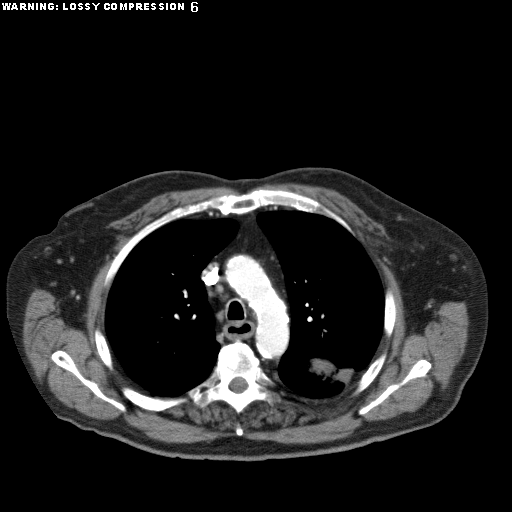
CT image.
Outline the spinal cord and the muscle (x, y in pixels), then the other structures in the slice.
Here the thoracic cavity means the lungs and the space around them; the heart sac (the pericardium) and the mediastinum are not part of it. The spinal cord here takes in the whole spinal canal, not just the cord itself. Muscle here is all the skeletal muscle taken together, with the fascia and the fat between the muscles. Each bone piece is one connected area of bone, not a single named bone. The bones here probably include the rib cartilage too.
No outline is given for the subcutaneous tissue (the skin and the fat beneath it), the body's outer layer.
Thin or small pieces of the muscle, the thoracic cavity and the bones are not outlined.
Outlines (x, y in pixels):
spinal cord: (237, 377) (240, 377) (241, 378) (244, 379) (245, 380) (245, 381) (247, 384) (247, 386) (246, 387) (246, 388) (245, 389) (244, 389) (241, 392) (235, 392) (234, 391) (233, 391) (230, 388) (230, 387) (229, 386) (229, 385) (230, 384) (231, 381) (233, 379) (234, 379)
muscle: (275, 182) (331, 188) (383, 225) (389, 239) (381, 238) (385, 245) (379, 251) (387, 257) (387, 265) (398, 283) (407, 334) (422, 333) (441, 303) (465, 302) (467, 341) (444, 389) (437, 387) (414, 411) (365, 422) (351, 434) (329, 441) (282, 443) (248, 439) (242, 436) (244, 431) (238, 422) (234, 436) (179, 443) (153, 439) (119, 418) (104, 420) (85, 415) (65, 405) (45, 382) (38, 380) (22, 340) (25, 308) (34, 288) (45, 289) (55, 296) (58, 314) (67, 325) (84, 329) (92, 281) (112, 254) (121, 232) (106, 225) (164, 192) (226, 186) (241, 193) (223, 193) (168, 210) (135, 232) (110, 262) (103, 281) (109, 289) (104, 334) (96, 327) (93, 336) (104, 365) (113, 371) (115, 361) (135, 388) (121, 386) (122, 395) (132, 404) (154, 412) (189, 400) (201, 409) (223, 401) (239, 415) (254, 401) (272, 406) (278, 396) (276, 387) (311, 400) (334, 398) (354, 385) (354, 395) (366, 389) (387, 357) (385, 350) (374, 357) (383, 334) (389, 338) (394, 329) (397, 313) (394, 294) (389, 288) (384, 291) (376, 266) (350, 225) (324, 204) (288, 189) (260, 187) (247, 191), around holes outlined by (56, 350) (62, 350) (63, 351) (65, 351) (71, 357) (77, 369) (85, 378) (95, 382) (97, 384) (99, 389) (106, 396) (110, 398) (112, 398) (116, 401) (120, 402) (123, 404) (126, 410) (123, 412) (111, 403) (98, 397) (70, 371) (56, 364) (51, 359) (51, 354) and by (419, 359) (425, 359) (430, 362) (431, 364) (430, 369) (424, 376) (410, 379) (406, 383) (393, 391) (383, 401) (374, 406) (366, 413) (362, 415) (360, 415) (358, 413) (358, 411) (360, 408) (367, 405) (371, 401) (375, 399) (389, 385) (400, 382) (408, 373) (411, 367)
torso: (303, 166) (333, 167) (366, 180) (455, 231) (476, 254) (487, 282) (488, 328) (480, 358) (454, 409) (431, 426) (350, 450) (260, 461) (167, 457) (57, 417) (32, 380) (10, 328) (5, 283) (16, 253) (33, 237) (53, 229) (70, 208) (145, 174) (183, 169) (236, 179)
mediastinum: (266, 206) (290, 208) (261, 211) (256, 216) (257, 224) (278, 258) (289, 302) (289, 342) (276, 373) (265, 371) (252, 348) (239, 339) (221, 346) (216, 339) (214, 313) (200, 277) (213, 256) (235, 237) (238, 222) (228, 217) (193, 218) (211, 209) (218, 209) (226, 216)
bones 1: (237, 340) (251, 348) (265, 373) (276, 384) (273, 389) (277, 396) (272, 405) (263, 400) (254, 400) (238, 414) (223, 400) (212, 401) (201, 408) (189, 399) (164, 410) (154, 411) (132, 403) (121, 391) (121, 387) (128, 386) (152, 397) (184, 395) (211, 374) (221, 347) with a hole at (237, 377) (240, 377) (241, 378) (244, 379) (245, 380) (245, 381) (247, 384) (247, 386) (246, 387) (246, 388) (245, 389) (244, 389) (241, 392) (235, 392) (234, 391) (233, 391) (230, 388) (230, 387) (229, 386) (229, 385) (230, 384) (231, 381) (233, 379) (234, 379)
bones 2: (260, 188) (282, 189) (308, 196) (342, 218) (354, 235) (330, 217) (280, 205) (266, 205) (245, 213) (226, 215) (218, 208) (211, 208) (172, 220) (150, 232) (123, 260) (109, 288) (104, 285) (111, 262) (122, 246) (140, 229) (163, 214) (178, 206) (215, 196) (241, 194)
bones 3: (56, 350) (62, 350) (63, 351) (65, 351) (71, 357) (77, 369) (85, 378) (95, 382) (97, 384) (99, 389) (106, 396) (110, 398) (112, 398) (116, 401) (120, 402) (123, 404) (126, 410) (123, 412) (111, 403) (98, 397) (70, 371) (56, 364) (51, 359) (51, 354)
bones 4: (419, 359) (425, 359) (430, 362) (431, 364) (430, 369) (424, 376) (410, 379) (406, 383) (393, 391) (383, 401) (374, 406) (366, 413) (362, 415) (360, 415) (358, 413) (358, 411) (360, 408) (367, 405) (371, 401) (375, 399) (389, 385) (400, 382) (408, 373) (411, 367)
bones 5: (385, 351) (386, 352) (386, 357) (385, 358) (385, 360) (383, 363) (383, 365) (381, 369) (379, 371) (375, 378) (369, 384) (369, 385) (361, 392) (360, 392) (358, 394) (354, 394) (353, 392) (356, 387) (356, 383) (358, 381) (362, 374) (368, 368) (369, 365) (381, 353)
bones 6: (387, 289) (389, 289) (393, 294) (393, 296) (394, 297) (394, 301) (395, 302) (395, 306) (396, 307) (396, 313) (395, 314) (395, 321) (394, 322) (394, 325) (393, 326) (393, 329) (392, 330) (391, 335) (389, 337) (387, 337) (384, 333) (384, 312) (385, 311) (385, 291)
bones 7: (96, 328) (99, 328) (99, 329) (103, 333) (106, 338) (106, 340) (107, 341) (108, 346) (110, 349) (110, 352) (112, 355) (112, 358) (113, 359) (113, 370) (110, 370) (105, 365) (98, 354) (97, 348) (96, 347) (96, 344) (95, 343) (95, 337) (94, 336) (94, 333)
thoracic cavity 1: (290, 209) (318, 214) (341, 225) (363, 246) (377, 270) (383, 287) (383, 333) (373, 360) (355, 384) (331, 398) (311, 399) (302, 397) (285, 388) (278, 387) (266, 373) (277, 373) (280, 360) (288, 348) (291, 310) (285, 276) (279, 258) (258, 224) (257, 216) (261, 212)
thoracic cavity 2: (188, 216) (192, 216) (194, 220) (228, 218) (235, 220) (238, 224) (234, 237) (212, 256) (199, 275) (213, 313) (215, 339) (220, 348) (216, 362) (210, 374) (204, 380) (181, 395) (152, 396) (137, 390) (113, 358) (105, 334) (106, 302) (112, 282) (133, 248) (158, 228)